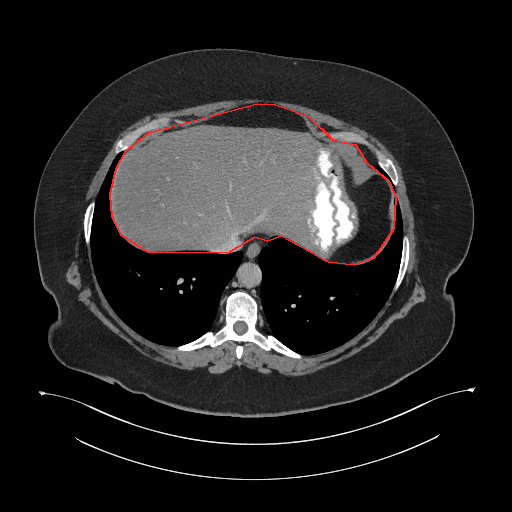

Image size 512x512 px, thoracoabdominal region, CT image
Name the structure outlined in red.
red: abdominal cavity.
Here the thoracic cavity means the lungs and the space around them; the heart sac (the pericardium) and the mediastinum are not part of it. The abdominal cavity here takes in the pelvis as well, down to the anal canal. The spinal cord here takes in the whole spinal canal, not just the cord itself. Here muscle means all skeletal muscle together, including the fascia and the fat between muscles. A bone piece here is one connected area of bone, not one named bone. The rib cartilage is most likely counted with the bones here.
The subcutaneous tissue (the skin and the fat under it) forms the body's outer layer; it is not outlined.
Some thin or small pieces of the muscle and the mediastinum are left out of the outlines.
Outlines (x, y in pixels):
abdominal cavity: (257, 103) (275, 104) (307, 115) (332, 139) (355, 144) (366, 162) (388, 180) (395, 196) (393, 229) (373, 258) (354, 265) (328, 262) (281, 236) (267, 241) (254, 237) (227, 253) (148, 252) (121, 235) (112, 216) (110, 194) (116, 168) (126, 150) (149, 132)
bones 1: (237, 290) (247, 292) (256, 300) (264, 319) (263, 330) (301, 354) (301, 358) (273, 349) (267, 351) (251, 341) (242, 344) (239, 359) (235, 351) (237, 343) (233, 340) (214, 347) (205, 345) (187, 351) (175, 350) (177, 346) (215, 328) (218, 317) (224, 312) (223, 298); inner edge: (238, 321) (242, 321) (243, 322) (244, 322) (246, 324) (246, 325) (247, 326) (247, 329) (246, 330) (246, 331) (245, 332) (244, 332) (242, 334) (238, 334) (234, 330) (234, 328) (233, 327) (234, 326) (234, 324) (236, 322) (237, 322)
bones 2: (336, 131) (352, 131) (359, 133) (363, 135) (373, 145) (378, 148) (386, 156) (390, 158) (395, 166) (398, 175) (398, 184) (396, 186) (394, 186) (392, 184) (389, 177) (377, 163) (377, 159) (375, 154) (370, 148) (362, 144) (350, 143) (332, 138) (331, 135) (328, 133)
bones 3: (161, 117) (168, 117) (172, 120) (173, 119) (179, 119) (184, 121) (185, 123) (182, 124) (174, 123) (170, 127) (165, 129) (157, 129) (156, 130) (148, 131) (139, 137) (127, 149) (115, 155) (114, 149) (116, 143) (128, 132) (141, 125) (143, 125) (154, 118) (160, 118)
bones 4: (405, 234) (408, 236) (410, 242) (409, 259) (408, 260) (406, 271) (400, 285) (398, 287) (397, 290) (390, 296) (392, 289) (395, 284) (396, 278) (399, 270) (400, 260) (401, 259) (401, 253) (402, 252) (402, 246) (403, 245) (402, 244) (403, 243) (403, 236)
bones 5: (92, 200) (95, 201) (95, 204) (94, 205) (93, 216) (92, 217) (92, 222) (91, 223) (91, 232) (90, 233) (90, 240) (89, 241) (89, 248) (90, 250) (89, 250) (85, 242) (84, 230) (83, 229) (83, 221) (84, 220) (84, 213) (86, 207) (89, 202)
thoracic cavity 1: (124, 151) (111, 180) (109, 203) (114, 225) (126, 242) (148, 253) (178, 251) (242, 253) (239, 265) (223, 289) (222, 298) (210, 325) (211, 329) (191, 341) (176, 346) (154, 342) (130, 327) (110, 305) (94, 270) (90, 241) (96, 198) (112, 162)
thoracic cavity 2: (395, 197) (401, 213) (403, 233) (399, 265) (389, 296) (373, 319) (349, 340) (316, 354) (302, 354) (274, 336) (263, 316) (260, 296) (263, 276) (258, 257) (268, 244) (268, 240) (272, 237) (285, 238) (324, 262) (343, 266) (363, 264) (379, 254) (392, 235) (395, 223)
thoracic cavity 3: (376, 165) (378, 165) (379, 166) (379, 167) (385, 173) (385, 174) (388, 177) (388, 178) (389, 179) (391, 184) (394, 187) (394, 188) (393, 189) (392, 188) (392, 186) (391, 185) (389, 180) (383, 174) (380, 173) (375, 168) (375, 166)
muscle 1: (245, 98) (274, 99) (290, 103) (300, 104) (341, 119) (362, 129) (364, 129) (375, 136) (392, 153) (401, 168) (402, 176) (406, 186) (406, 192) (414, 215) (414, 222) (415, 223) (414, 230) (416, 235) (416, 252) (417, 253) (416, 256) (418, 258) (418, 273) (425, 289) (425, 293) (426, 294) (425, 300) (414, 305) (404, 317) (395, 320) (380, 337) (360, 351) (341, 361) (324, 367) (317, 371) (304, 375) (290, 376) (281, 373) (265, 374) (258, 372) (253, 369) (250, 369) (243, 365) (240, 366) (234, 365) (231, 368) (222, 373) (215, 373) (214, 374) (213, 373) (193, 373) (187, 369) (180, 369) (162, 362) (156, 361) (139, 352) (125, 340) (114, 333) (103, 324) (81, 301) (79, 301) (77, 299) (77, 293) (78, 292) (72, 285) (69, 284) (66, 281) (65, 278) (65, 273) (67, 268) (74, 258) (74, 246) (77, 237) (77, 233) (81, 225) (82, 213) (84, 210) (84, 206) (85, 205) (85, 194) (86, 191) (93, 176) (100, 166) (103, 159) (111, 148) (119, 133) (138, 119) (152, 113) (177, 110) (186, 107) (190, 107) (204, 103) (209, 103) (221, 100) (244, 99), around a hole outlined by (257, 103) (305, 114) (327, 133) (359, 133) (392, 160) (398, 175) (393, 193) (410, 242) (406, 271) (373, 319) (329, 350) (299, 359) (247, 341) (239, 359) (237, 343) (226, 340) (178, 351) (144, 337) (112, 308) (85, 242) (84, 213) (128, 132) (154, 118) (186, 124)
muscle 2: (362, 145) (363, 146) (365, 146) (367, 148) (368, 148) (369, 149) (370, 149) (373, 152) (373, 153) (374, 154) (374, 156) (375, 157) (375, 158) (376, 159) (376, 160) (374, 158) (374, 157) (373, 156) (372, 156) (372, 155) (363, 146) (362, 146)
mediastinum 1: (254, 238) (263, 238) (267, 242) (267, 244) (261, 249) (257, 257) (257, 262) (262, 276) (259, 289) (260, 297) (260, 309) (262, 314) (260, 313) (260, 305) (258, 303) (257, 300) (245, 290) (237, 289) (222, 297) (225, 287) (235, 274) (242, 261) (243, 253) (238, 250) (246, 242) (253, 240)
mediastinum 2: (356, 144) (358, 145) (361, 145) (361, 146) (363, 147) (371, 155) (372, 157) (373, 157) (373, 158) (376, 161) (376, 163) (377, 164) (376, 164) (374, 166) (369, 164) (367, 162) (366, 159) (361, 154) (359, 153) (358, 151) (358, 148)
mediastinum 3: (222, 299) (223, 300) (223, 312) (222, 313) (221, 313) (217, 317) (217, 319) (215, 322) (215, 327) (212, 328) (211, 327) (211, 325) (213, 322) (213, 319) (214, 318) (214, 317) (217, 312) (217, 310) (218, 309) (218, 308) (221, 303) (221, 301) (222, 300)
torso: (217, 47) (373, 71) (416, 95) (448, 134) (474, 205) (467, 255) (446, 288) (455, 324) (439, 355) (396, 384) (312, 411) (212, 415) (175, 408) (69, 368) (52, 353) (47, 333) (57, 309) (42, 285) (33, 237) (36, 191) (52, 150) (86, 104) (119, 76) (162, 56)
spinal cord: (238, 321) (242, 321) (243, 322) (244, 322) (246, 324) (246, 325) (247, 326) (247, 329) (246, 330) (246, 331) (245, 332) (244, 332) (242, 334) (238, 334) (234, 330) (234, 328) (233, 327) (234, 326) (234, 324) (236, 322) (237, 322)